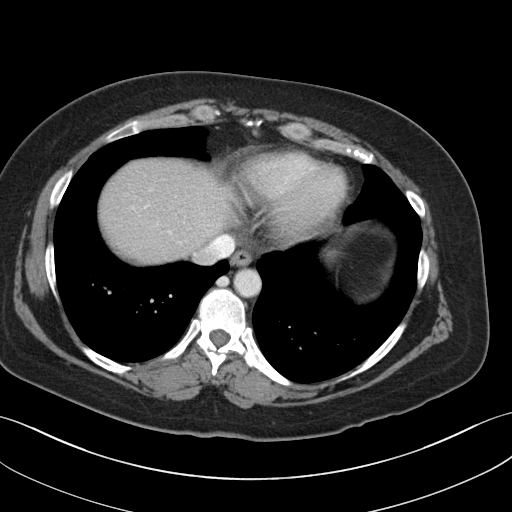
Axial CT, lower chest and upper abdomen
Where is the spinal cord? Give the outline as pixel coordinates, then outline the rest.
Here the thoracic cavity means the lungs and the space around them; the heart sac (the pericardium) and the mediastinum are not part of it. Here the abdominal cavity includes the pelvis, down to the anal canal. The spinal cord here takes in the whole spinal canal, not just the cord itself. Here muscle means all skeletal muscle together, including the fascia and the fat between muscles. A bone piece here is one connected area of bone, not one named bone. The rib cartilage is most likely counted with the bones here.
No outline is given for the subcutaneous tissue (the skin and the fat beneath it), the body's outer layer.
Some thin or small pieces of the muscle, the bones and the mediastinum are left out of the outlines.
Outlines (x, y in pixels):
spinal cord: 219,329 220,330 223,330 225,332 226,332 229,335 229,339 226,343 225,343 221,346 219,346 218,347 217,347 213,343 213,342 211,340 211,339 210,338 210,333 214,330 218,330
abdominal cavity 1: 151,156 185,157 195,158 198,160 211,162 218,171 223,181 225,182 237,219 236,223 232,228 213,238 182,260 155,266 136,267 116,257 105,244 98,228 96,216 96,206 102,187 108,178 118,168 129,160
abdominal cavity 2: 374,218 380,219 385,222 397,236 398,251 395,262 395,268 387,287 381,294 372,301 358,305 351,300 343,297 328,282 326,278 327,271 318,256 320,250 327,242 325,239 340,232 345,226 362,220
pericardium: 262,142 297,144 309,148 310,150 339,158 351,168 354,176 352,203 344,210 338,226 332,233 322,239 310,239 299,242 285,250 271,251 255,243 235,226 238,218 229,190 226,182 214,164 220,158 241,146
mediastinum 1: 234,226 255,244 270,251 264,253 256,262 256,269 261,278 262,285 252,309 252,327 248,323 246,305 239,296 230,288 211,287 229,269 229,263 225,258 219,259 210,265 202,265 183,260 213,239 232,229
mediastinum 2: 229,122 248,128 267,127 278,131 288,139 303,143 314,149 317,150 330,151 359,161 362,164 364,180 358,195 353,202 355,176 346,162 339,157 322,153 297,143 262,141 244,144 213,163 209,160 211,156 205,145 209,131 198,125
mediastinum 3: 341,221 341,223 344,226 343,227 343,228 340,231 339,231 338,232 337,232 336,233 335,233 334,234 333,234 332,235 331,235 330,236 329,236 328,237 323,239 324,238 325,238 327,236 332,234 339,226
thoracic cavity 1: 191,125 208,131 204,145 210,158 129,159 99,191 97,228 109,251 136,268 180,261 210,266 225,259 228,269 202,296 174,345 153,358 122,363 84,343 65,312 53,241 57,209 74,174 106,144 146,130
thoracic cavity 2: 363,164 385,172 420,219 416,289 401,321 362,362 329,379 296,382 267,360 254,336 253,309 263,285 257,262 273,251 325,240 317,256 327,282 358,306 376,300 394,274 399,240 377,217 342,223 362,189
bones 1: 211,288 230,289 241,299 245,305 247,323 252,328 262,354 293,385 278,383 255,367 249,367 243,357 233,351 226,355 213,376 209,358 193,341 177,357 160,360 186,332 192,318 197,315 201,299; inner edge: 219,329 220,330 223,330 225,332 226,332 229,335 229,339 226,343 225,343 221,346 219,346 218,347 217,347 213,343 213,342 211,340 211,339 210,338 210,333 214,330 218,330
bones 2: 201,104 212,105 220,110 221,114 211,122 206,123 200,120 196,120 193,123 184,126 170,126 146,129 109,143 105,143 103,140 112,131 121,127 129,121 136,119 141,120 158,118 179,112 187,113 195,106
bones 3: 288,121 300,122 305,124 312,131 313,138 322,137 342,143 351,143 360,146 374,155 376,164 362,163 353,157 341,153 325,149 314,148 310,145 309,140 304,140 300,142 288,138 284,136 277,128 278,126
bones 4: 402,320 406,320 407,322 407,325 403,333 393,347 381,359 371,367 350,378 348,378 344,380 338,380 341,376 345,374 347,374 350,371 353,370 358,365 362,363 372,353 373,353 385,341 385,340 392,333
bones 5: 78,344 80,345 86,345 97,353 111,360 113,360 116,362 118,362 122,364 125,364 126,365 129,365 132,368 130,370 128,370 121,374 109,371 103,368 101,366 94,363 80,349
bones 6: 49,241 52,241 53,242 53,253 54,254 54,265 55,266 56,288 59,296 59,299 58,300 54,297 51,291 51,289 49,285 49,282 47,278 47,275 46,274 46,269 45,268 45,250 46,249 46,246
bones 7: 69,169 72,169 73,170 73,175 61,198 61,200 58,206 57,207 55,207 51,209 49,207 49,200 50,199 50,195 53,189 53,187 55,183 57,181 57,180 67,170
bones 8: 421,247 423,247 425,249 427,253 427,255 429,258 429,270 428,271 428,274 427,275 426,281 423,287 419,291 418,291 417,290 417,279 416,278 417,277 417,264 418,263 418,258 419,257 419,253 420,252
bones 9: 406,189 410,189 412,190 421,197 423,201 423,204 424,205 424,209 425,210 425,215 424,217 422,218 420,218 419,216 416,213 416,212 414,210 412,206 410,204 409,201 407,199 406,196 404,194 404,192
torso: 176,70 231,72 301,81 353,92 406,115 445,148 469,185 482,235 489,343 481,368 469,381 417,408 339,433 296,440 251,441 172,434 132,425 30,384 0,365 0,171 20,142 41,121 68,102 118,80
muscle: 203,97 205,98 211,97 219,100 230,102 233,104 268,107 310,117 314,117 316,119 322,120 345,131 352,133 363,141 365,141 378,148 405,171 421,189 425,199 430,207 430,210 435,224 437,233 438,252 439,253 440,277 444,287 453,322 451,334 445,340 432,345 417,357 402,366 391,375 373,385 359,391 317,403 311,403 304,405 294,405 293,406 268,406 267,405 255,404 250,408 242,408 232,403 214,385 208,385 204,387 194,397 184,400 173,400 166,398 157,398 152,396 148,396 131,388 128,388 106,377 89,371 76,364 68,362 64,358 57,355 40,341 24,325 23,322 16,313 13,304 12,292 13,291 13,279 15,271 15,262 18,252 18,245 22,235 22,232 27,222 32,207 36,202 37,198 47,180 60,166 78,150 84,147 98,136 120,122 132,116 138,114 143,114 160,107 182,101 with a hole at 201,104 221,112 208,124 241,124 261,118 261,127 277,131 278,126 294,121 305,124 313,138 360,146 374,155 376,165 401,192 410,189 421,197 425,210 420,219 421,246 429,258 427,278 423,287 415,290 402,318 407,325 400,338 371,367 344,380 338,380 339,375 287,386 249,367 233,351 213,376 209,358 193,341 175,358 160,360 158,355 127,362 132,368 121,374 94,363 80,349 78,344 86,344 70,323 61,299 54,297 46,274 45,250 54,239 58,208 49,207 53,187 67,170 74,174 106,144 103,140 108,134 127,122 187,113